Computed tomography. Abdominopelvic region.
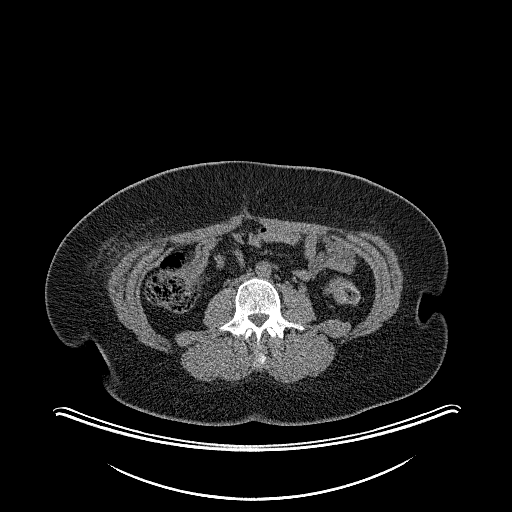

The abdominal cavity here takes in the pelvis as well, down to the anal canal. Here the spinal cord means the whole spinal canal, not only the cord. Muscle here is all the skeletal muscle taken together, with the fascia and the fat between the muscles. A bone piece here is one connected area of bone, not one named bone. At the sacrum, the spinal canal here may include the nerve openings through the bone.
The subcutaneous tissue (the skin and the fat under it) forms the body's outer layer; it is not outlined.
The torso is outlined by [[224,160],[361,176],[406,198],[433,222],[448,274],[440,296],[422,296],[418,315],[425,320],[439,310],[448,343],[423,388],[333,421],[199,425],[119,402],[102,384],[107,366],[96,346],[75,349],[57,337],[46,313],[45,280],[71,228],[137,181]]. The abdominal cavity is outlined by [[244,220],[354,248],[373,273],[366,317],[354,327],[338,318],[314,323],[307,294],[278,283],[281,297],[270,281],[253,276],[235,293],[229,286],[212,296],[203,313],[205,329],[180,331],[173,341],[156,332],[140,299],[144,275],[172,250],[226,233]]. The muscle is outlined by [[245,212],[269,218],[314,222],[347,230],[367,231],[382,237],[389,243],[396,253],[403,273],[403,288],[397,311],[376,331],[344,343],[337,350],[331,364],[321,374],[311,380],[301,383],[286,384],[275,381],[265,372],[255,373],[248,380],[230,385],[217,385],[195,379],[172,355],[154,349],[138,341],[137,336],[119,321],[106,288],[109,274],[117,261],[127,251],[134,247],[160,240],[170,234],[214,224],[231,216]], around a hole outlined by [[244,220],[326,237],[354,248],[373,273],[374,297],[366,317],[354,327],[338,318],[314,323],[316,315],[309,296],[290,283],[278,283],[281,314],[304,329],[286,327],[282,338],[264,331],[259,350],[265,361],[257,365],[253,334],[246,340],[242,335],[236,337],[227,330],[218,330],[235,311],[235,290],[229,286],[208,301],[202,318],[205,329],[180,331],[173,341],[156,332],[140,299],[144,275],[172,250],[226,233]]. The bones are outlined by [[253,277],[270,282],[279,294],[283,317],[304,327],[303,330],[286,327],[282,338],[271,337],[264,331],[259,350],[265,361],[259,365],[254,363],[257,345],[253,334],[246,340],[242,335],[236,337],[227,330],[218,330],[234,314],[234,297],[239,285]], around a hole outlined by [[253,314],[264,314],[265,315],[267,315],[267,318],[262,323],[262,324],[261,324],[260,325],[259,325],[258,326],[257,325],[256,325],[251,320],[250,320],[249,319],[249,316],[250,315],[252,315]]. The spinal cord is outlined by [[253,314],[264,314],[265,315],[267,315],[267,318],[262,323],[262,324],[261,324],[260,325],[259,325],[258,326],[257,325],[256,325],[251,320],[250,320],[249,319],[249,316],[250,315],[252,315]].